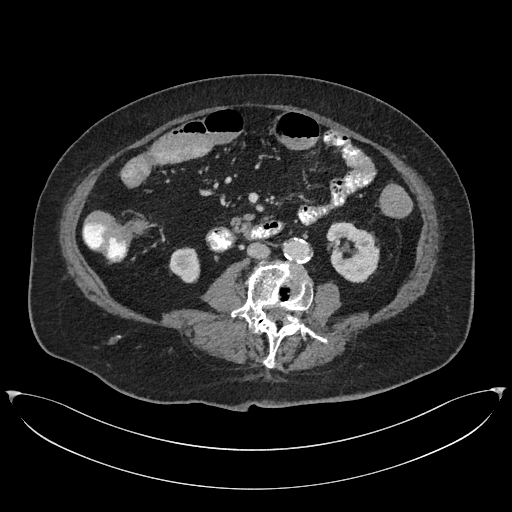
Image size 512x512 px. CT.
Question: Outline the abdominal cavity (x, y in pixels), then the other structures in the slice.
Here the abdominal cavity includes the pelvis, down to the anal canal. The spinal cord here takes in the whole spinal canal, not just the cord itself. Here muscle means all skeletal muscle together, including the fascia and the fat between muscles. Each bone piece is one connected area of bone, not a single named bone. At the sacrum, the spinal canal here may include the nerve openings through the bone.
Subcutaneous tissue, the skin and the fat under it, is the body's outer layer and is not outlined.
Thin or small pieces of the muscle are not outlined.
Answer: Outlines (x, y in pixels):
abdominal cavity: 234 107; 307 115; 372 146; 400 174; 422 224; 412 267; 387 304; 373 313; 334 316; 342 304; 334 281; 314 290; 303 267; 276 259; 250 271; 247 256; 201 295; 211 310; 172 309; 155 318; 110 294; 76 241; 100 174; 168 128
spinal cord: 264 307; 267 309; 273 308; 274 307; 283 308; 288 312; 284 316; 284 318; 283 319; 286 321; 288 321; 288 322; 285 322; 282 324; 280 324; 277 321; 276 321; 271 315; 268 314; 267 312; 265 310; 264 310; 263 308
muscle: 244 102; 289 104; 314 111; 348 127; 393 151; 423 177; 435 198; 440 225; 439 249; 424 294; 394 317; 362 331; 357 336; 350 355; 333 368; 312 372; 269 369; 276 365; 275 358; 282 340; 299 332; 304 341; 307 335; 324 344; 328 343; 327 337; 317 333; 300 317; 300 313; 306 312; 313 303; 314 291; 319 284; 332 281; 338 287; 341 304; 333 314; 334 317; 363 311; 373 314; 387 305; 413 267; 423 220; 415 194; 379 150; 322 124; 307 114; 259 106; 234 106; 216 109; 176 123; 147 142; 127 150; 99 174; 86 197; 75 227; 75 241; 80 253; 109 294; 131 310; 155 319; 159 319; 163 312; 172 310; 211 311; 213 309; 202 299; 202 295; 231 264; 249 258; 249 273; 243 282; 246 287; 245 300; 229 316; 232 319; 244 319; 254 334; 266 335; 267 354; 262 361; 264 366; 221 366; 206 362; 194 354; 176 330; 124 319; 109 314; 88 301; 68 273; 59 243; 62 209; 73 190; 92 168; 171 119; 208 107
torso: 245 73; 309 76; 369 93; 413 119; 448 156; 471 208; 475 292; 469 333; 447 364; 362 398; 281 408; 251 405; 243 412; 202 403; 141 400; 119 392; 40 347; 27 309; 31 234; 39 195; 58 159; 88 127; 135 99; 192 80
bones: 276 260; 306 271; 312 283; 313 299; 299 317; 328 341; 324 343; 307 334; 304 340; 299 331; 287 335; 277 348; 274 367; 269 368; 263 364; 268 354; 267 335; 254 333; 244 318; 232 318; 230 313; 245 302; 244 282; 253 268, around a hole outlined by 264 307; 267 309; 273 308; 274 307; 283 308; 288 312; 284 316; 284 318; 283 319; 286 321; 288 321; 288 322; 285 322; 282 324; 280 324; 277 321; 276 321; 271 315; 268 314; 267 312; 265 310; 264 310; 263 308